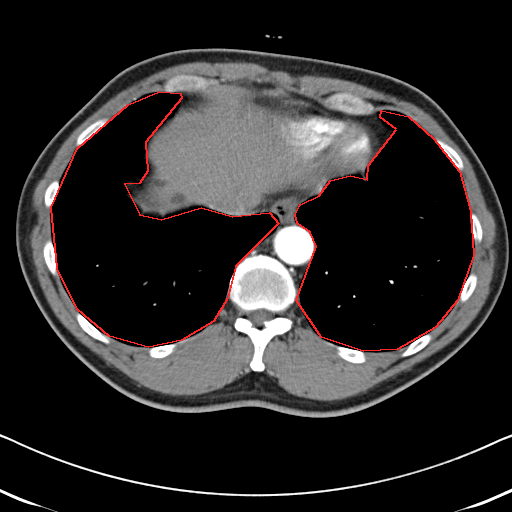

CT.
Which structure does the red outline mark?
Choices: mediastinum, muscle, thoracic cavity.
red: thoracic cavity.
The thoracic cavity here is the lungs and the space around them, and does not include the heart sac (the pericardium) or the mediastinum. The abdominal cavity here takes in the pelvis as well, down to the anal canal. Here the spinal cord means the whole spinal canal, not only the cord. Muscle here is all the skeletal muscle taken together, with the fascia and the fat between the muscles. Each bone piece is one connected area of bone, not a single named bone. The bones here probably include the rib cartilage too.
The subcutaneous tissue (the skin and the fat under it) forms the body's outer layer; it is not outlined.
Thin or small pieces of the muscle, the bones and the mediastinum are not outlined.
The thoracic cavity appears in 2 outlined pieces: piece 1: 159 91; 180 93; 181 98; 145 142; 147 171; 139 183; 124 184; 139 214; 161 219; 201 207; 232 216; 269 212; 278 223; 235 266; 227 298; 213 321; 181 340; 148 347; 109 336; 77 309; 57 268; 51 207; 77 148; 128 104; piece 2: 381 110; 408 116; 433 138; 459 171; 470 211; 473 255; 457 300; 435 327; 397 349; 363 351; 321 337; 296 300; 316 246; 310 232; 297 223; 295 214; 300 204; 319 195; 330 180; 350 175; 367 179; 368 165; 396 129; 380 117. The pericardium is outlined by 290 101; 305 102; 326 112; 338 116; 349 117; 368 126; 380 145; 376 155; 367 165; 365 170; 359 174; 350 174; 332 178; 324 183; 319 189; 310 191; 301 190; 304 171; 296 157; 280 139; 276 125; 277 111; 280 109; 282 104. The muscle is outlined by 197 61; 249 62; 292 75; 352 81; 410 102; 439 124; 470 162; 495 221; 496 256; 490 290; 476 316; 456 338; 410 369; 341 399; 317 400; 291 394; 262 372; 267 344; 293 326; 285 313; 296 301; 311 329; 347 362; 364 363; 365 352; 405 347; 400 353; 404 358; 423 349; 432 339; 430 332; 456 302; 465 302; 476 288; 478 276; 470 270; 474 244; 482 241; 482 225; 470 210; 460 155; 405 113; 375 110; 370 101; 350 92; 334 92; 319 102; 260 77; 217 83; 214 78; 187 73; 167 78; 160 90; 135 97; 109 119; 100 117; 78 134; 77 147; 60 179; 53 179; 43 194; 43 203; 50 208; 51 238; 43 243; 42 256; 48 271; 59 276; 83 331; 104 344; 110 343; 110 337; 147 347; 149 356; 156 359; 170 355; 184 339; 205 329; 227 299; 238 313; 234 329; 247 335; 252 343; 248 364; 252 371; 205 393; 163 393; 139 385; 64 326; 44 295; 32 260; 30 222; 37 183; 64 141; 109 99; 160 70. The abdominal cavity is outlined by 242 81; 270 83; 303 101; 285 101; 275 113; 279 139; 303 171; 301 189; 271 197; 262 206; 265 211; 250 215; 232 215; 201 206; 161 218; 140 214; 125 184; 129 181; 139 184; 148 171; 144 159; 146 142; 176 111; 182 92. The torso is outlined by 197 47; 275 52; 367 68; 419 88; 451 118; 496 190; 509 255; 491 313; 444 363; 394 395; 338 416; 306 417; 253 406; 187 413; 152 407; 118 391; 54 332; 27 286; 15 243; 17 205; 31 167; 56 132; 117 73; 154 55. The mediastinum appears in 2 outlined pieces: piece 1: 322 187; 319 194; 312 195; 300 203; 294 214; 296 223; 309 232; 315 246; 313 256; 297 289; 290 270; 275 257; 257 253; 255 250; 245 255; 271 234; 279 223; 278 217; 274 213; 263 208; 268 200; 292 191; 310 192; 319 190; piece 2: 294 94; 318 102; 325 108; 330 110; 346 114; 368 115; 375 111; 378 111; 378 115; 383 122; 389 127; 395 129; 390 134; 380 149; 381 145; 379 140; 371 128; 365 123; 349 116; 338 115; 319 107; 316 107; 296 97. The bones appear in 12 outlined pieces: piece 1: 253 251; 281 262; 289 270; 297 290; 294 303; 284 313; 292 321; 292 326; 288 331; 275 335; 266 344; 262 356; 265 368; 261 372; 253 371; 249 365; 254 346; 247 334; 235 329; 234 322; 239 313; 227 297; 229 281; 236 266; inner edge: 258 309; 265 309; 266 310; 268 310; 272 312; 274 314; 274 316; 273 318; 269 320; 265 320; 262 323; 263 325; 260 327; 258 326; 255 326; 253 324; 253 323; 248 318; 247 316; 249 312; 251 311; 253 311; 254 310; 257 310; piece 2: 340 92; 350 93; 353 95; 360 97; 367 102; 370 102; 374 106; 374 111; 368 114; 351 114; 350 113; 346 113; 342 111; 338 111; 337 110; 334 110; 333 109; 330 109; 327 107; 325 107; 320 102; 320 101; 334 93; 339 93; piece 3: 178 74; 187 74; 188 75; 201 76; 205 78; 211 78; 212 79; 214 79; 217 82; 211 85; 209 85; 204 89; 198 89; 197 90; 191 90; 190 91; 182 91; 181 92; 166 92; 161 90; 161 87; 163 83; 167 79; piece 4: 328 342; 333 343; 339 346; 342 346; 343 347; 346 347; 347 348; 350 348; 351 349; 362 351; 364 352; 366 355; 366 360; 362 363; 354 363; 353 362; 347 361; 340 357; 337 354; 337 350; 333 346; 329 345; 328 344; piece 5: 77 311; 78 311; 90 323; 91 323; 97 329; 98 329; 102 333; 107 335; 109 337; 109 343; 104 343; 97 339; 95 339; 93 337; 89 335; 84 330; 83 330; 83 329; 80 326; 80 325; 78 323; 76 319; 76 313; piece 6: 100 118; 107 118; 108 119; 108 120; 106 122; 106 123; 95 134; 94 134; 89 139; 88 139; 82 144; 77 146; 76 145; 76 140; 77 139; 77 137; 79 135; 79 134; 90 124; 91 124; 93 122; 94 122; 96 120; 97 120; piece 7: 50 238; 52 241; 52 244; 53 245; 53 248; 54 249; 54 253; 55 254; 55 263; 56 264; 56 268; 58 272; 58 276; 55 276; 53 275; 49 271; 46 265; 46 263; 43 256; 43 246; 44 245; 44 243; 46 241; 46 240; piece 8: 429 332; 431 335; 431 339; 429 341; 429 342; 423 348; 422 348; 417 352; 411 355; 409 355; 408 356; 405 356; 404 357; 402 357; 401 356; 401 353; 405 349; 406 346; 407 346; 410 343; 411 343; 416 339; 419 338; 421 336; piece 9: 436 139; 439 139; 443 141; 445 143; 446 143; 448 145; 452 147; 456 151; 456 152; 461 158; 462 162; 463 163; 463 168; 462 170; 460 171; 452 163; 452 162; 449 159; 449 158; 446 155; 446 154; 440 148; 440 147; 435 140; piece 10: 182 340; 182 341; 180 342; 175 347; 174 350; 170 354; 164 357; 156 358; 155 357; 152 357; 150 356; 150 355; 148 353; 148 349; 150 347; 154 347; 155 346; 160 346; 161 345; 170 344; 171 343; 174 343; 175 342; 181 341; piece 11: 470 272; 472 272; 473 273; 474 273; 477 276; 477 281; 476 282; 476 285; 475 286; 475 288; 472 292; 471 295; 465 301; 462 302; 461 301; 459 301; 458 300; 458 298; 460 295; 460 293; 462 290; 462 288; 463 287; piece 12: 53 180; 58 180; 59 181; 59 186; 58 187; 58 190; 57 191; 57 194; 56 195; 56 196; 55 197; 55 199; 53 201; 51 206; 50 207; 46 207; 46 206; 44 203; 44 194; 45 193; 46 188; 48 186; 48 185. The spinal cord is outlined by 258 309; 265 309; 266 310; 268 310; 272 312; 274 314; 274 316; 273 318; 269 320; 265 320; 262 323; 263 325; 260 327; 258 326; 255 326; 253 324; 253 323; 248 318; 247 316; 249 312; 251 311; 253 311; 254 310; 257 310.